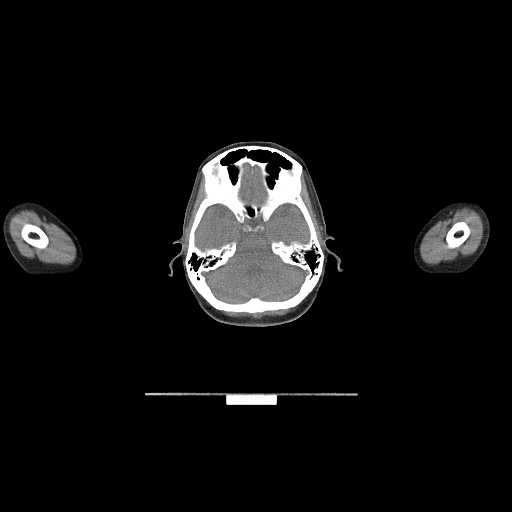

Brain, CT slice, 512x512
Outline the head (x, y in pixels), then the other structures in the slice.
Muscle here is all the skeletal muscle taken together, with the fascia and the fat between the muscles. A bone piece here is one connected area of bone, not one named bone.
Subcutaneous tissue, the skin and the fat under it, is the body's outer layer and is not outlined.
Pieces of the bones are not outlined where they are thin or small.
The head is outlined by [[250,140],[278,143],[305,161],[326,232],[334,238],[326,245],[339,257],[342,269],[338,270],[330,255],[311,306],[292,321],[265,327],[225,324],[208,315],[190,291],[179,257],[169,275],[169,263],[181,249],[173,242],[182,234],[199,164],[223,146]] with a hole at [[239,150],[247,152],[266,150],[283,157],[290,165],[287,168],[280,166],[273,179],[273,183],[270,185],[268,178],[271,174],[268,171],[268,162],[253,159],[245,154],[230,163],[236,169],[236,177],[233,181],[229,170],[230,166],[222,161],[229,154]]. The bones appear in 3 outlined pieces: piece 1: [[245,145],[260,145],[276,148],[294,158],[303,168],[301,176],[301,196],[312,220],[324,257],[317,283],[302,301],[293,307],[254,313],[218,310],[196,290],[188,277],[184,264],[190,230],[195,214],[205,195],[204,177],[201,172],[203,165],[230,148]]; inner edges: [[217,204],[240,224],[259,218],[265,223],[284,204],[298,208],[308,229],[307,241],[269,243],[282,262],[306,272],[295,293],[284,299],[252,296],[230,302],[213,292],[204,273],[226,264],[238,244],[234,239],[204,249],[196,244],[196,230],[206,210]], then [[239,150],[247,152],[266,150],[283,157],[290,165],[287,168],[280,166],[273,179],[273,183],[270,185],[268,178],[271,174],[268,171],[268,162],[253,159],[245,154],[230,163],[236,169],[236,177],[233,181],[229,170],[230,166],[222,161],[229,154]], then [[246,164],[251,167],[257,167],[258,168],[259,175],[260,176],[260,182],[266,194],[265,199],[263,202],[261,203],[257,203],[255,201],[246,201],[240,197],[239,194],[240,193],[240,190],[242,184],[244,182],[244,174],[246,170],[246,167],[245,166]]; piece 2: [[26,223],[30,223],[31,224],[36,225],[43,230],[43,231],[46,234],[48,238],[48,244],[46,246],[46,247],[44,248],[42,248],[41,249],[40,248],[37,248],[31,245],[25,240],[24,240],[24,239],[21,236],[21,229],[24,225],[24,224]]; piece 3: [[458,221],[464,221],[468,225],[470,229],[470,232],[469,233],[469,235],[467,237],[467,238],[459,246],[457,247],[455,247],[454,248],[448,248],[447,247],[447,243],[446,242],[446,235],[449,229],[451,227],[451,226],[454,223]]. The muscle appears in 5 outlined pieces: piece 1: [[462,207],[472,208],[480,215],[482,219],[484,227],[483,228],[483,235],[477,249],[472,254],[468,256],[447,263],[442,266],[427,265],[422,261],[419,253],[420,244],[425,233],[435,223],[439,220],[441,220],[448,212],[455,208],[461,208]], around a hole outlined by [[458,221],[464,221],[468,225],[470,229],[470,232],[469,233],[469,235],[467,237],[467,238],[459,246],[457,247],[455,247],[454,248],[448,248],[447,247],[447,243],[446,242],[446,235],[449,229],[451,227],[451,226],[454,223]]; piece 2: [[22,209],[33,210],[40,216],[44,217],[48,221],[57,225],[71,238],[76,248],[76,258],[71,264],[69,265],[62,265],[61,264],[45,263],[35,258],[34,259],[27,258],[23,256],[19,252],[10,235],[8,226],[9,225],[10,217],[14,213]] with a hole at [[26,223],[30,223],[31,224],[36,225],[43,230],[43,231],[46,234],[48,238],[48,244],[46,246],[46,247],[44,248],[42,248],[41,249],[40,248],[37,248],[31,245],[25,240],[24,240],[24,239],[21,236],[21,229],[24,225],[24,224]]; piece 3: [[303,171],[304,171],[305,173],[305,179],[306,180],[306,184],[309,191],[309,194],[313,202],[314,207],[317,213],[318,219],[322,228],[321,229],[322,239],[323,240],[322,246],[321,246],[321,244],[318,239],[313,220],[302,196],[302,176],[303,175]]; piece 4: [[201,173],[203,177],[203,192],[204,193],[204,195],[201,199],[193,217],[193,220],[188,234],[188,241],[187,242],[186,251],[186,248],[184,244],[185,230],[186,229],[186,226],[188,221],[188,216],[190,213],[192,205],[194,202],[194,200],[198,190]]; piece 5: [[296,306],[296,307],[294,310],[293,310],[290,312],[288,312],[287,313],[286,313],[283,315],[276,315],[275,316],[263,316],[262,317],[252,317],[251,316],[230,316],[229,315],[227,315],[226,314],[224,314],[221,311],[224,311],[225,312],[233,312],[234,313],[249,313],[250,314],[254,314],[255,313],[262,313],[263,312],[265,312],[266,311],[276,311],[277,310],[283,310],[284,309],[289,309],[290,308],[293,308]]. The brain appears in 2 outlined pieces: piece 1: [[217,204],[240,224],[259,218],[265,223],[284,204],[298,208],[308,229],[307,241],[269,243],[282,262],[306,272],[295,293],[284,299],[252,296],[230,302],[213,292],[204,273],[226,264],[238,244],[234,239],[204,249],[196,244],[196,230],[206,210]] with a hole at [[257,224],[259,224],[260,225],[261,225],[263,227],[263,228],[262,228],[261,229],[260,228],[259,229],[258,229],[256,231],[246,231],[245,230],[244,230],[244,229],[245,228],[245,227],[247,225],[250,225],[251,226],[254,226],[255,225],[256,225]]; piece 2: [[246,164],[251,167],[257,167],[258,168],[259,175],[260,176],[260,182],[266,194],[265,199],[263,202],[261,203],[257,203],[255,201],[246,201],[240,197],[239,194],[240,193],[240,190],[242,184],[244,182],[244,174],[246,170],[246,167],[245,166]]. The left arm is outlined by [[459,199],[469,199],[472,200],[479,204],[485,210],[488,216],[490,224],[490,231],[487,244],[482,254],[475,263],[468,270],[462,273],[457,273],[456,274],[427,273],[420,269],[415,262],[414,254],[413,253],[415,239],[422,227],[438,210],[445,205]]. The right arm is outlined by [[22,201],[32,201],[42,205],[58,217],[75,234],[80,243],[82,250],[82,261],[79,268],[77,270],[72,273],[67,273],[66,274],[32,275],[27,273],[17,263],[6,245],[3,236],[3,228],[2,227],[3,226],[4,216],[6,212],[13,205]].